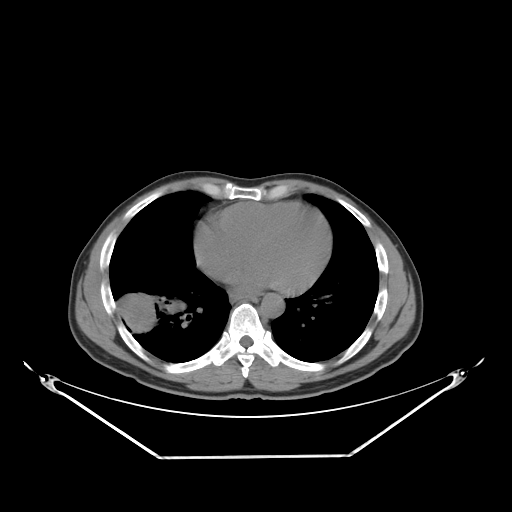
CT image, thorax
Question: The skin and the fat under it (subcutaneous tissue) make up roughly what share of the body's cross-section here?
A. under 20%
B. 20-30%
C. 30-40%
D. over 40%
Answer: A. under 20%
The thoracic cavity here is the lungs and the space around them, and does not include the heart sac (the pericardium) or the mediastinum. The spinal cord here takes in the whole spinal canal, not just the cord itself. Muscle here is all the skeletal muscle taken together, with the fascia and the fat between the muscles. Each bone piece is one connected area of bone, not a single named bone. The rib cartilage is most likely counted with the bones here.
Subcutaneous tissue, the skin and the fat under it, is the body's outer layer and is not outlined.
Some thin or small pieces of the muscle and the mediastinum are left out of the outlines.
The muscle is outlined by [[198,176],[228,181],[221,185],[202,181],[200,190],[166,194],[165,186],[158,188],[124,213],[122,218],[126,224],[119,234],[112,230],[100,249],[99,269],[101,272],[108,269],[108,281],[103,279],[99,286],[102,305],[109,316],[117,311],[121,319],[116,324],[117,332],[139,358],[150,364],[147,351],[166,362],[161,366],[165,372],[180,374],[210,364],[218,367],[236,356],[241,364],[241,375],[247,378],[255,355],[271,367],[281,363],[304,372],[319,372],[327,366],[323,361],[341,353],[334,363],[341,365],[364,347],[373,332],[367,325],[370,318],[373,316],[378,322],[388,302],[387,287],[379,287],[379,274],[389,272],[386,250],[379,240],[372,243],[365,228],[371,227],[369,219],[339,196],[334,200],[313,192],[290,194],[291,183],[255,186],[280,179],[302,179],[329,187],[351,199],[384,229],[402,253],[412,277],[416,310],[408,332],[363,366],[284,391],[256,389],[248,382],[240,389],[228,391],[194,390],[153,375],[100,347],[79,328],[74,310],[78,281],[100,233],[144,193],[171,181]]. The spinal cord is outlined by [[243,336],[248,336],[252,340],[252,343],[249,346],[248,346],[247,347],[245,347],[244,346],[243,346],[240,343],[240,339]]. The bones appear in 10 outlined pieces: piece 1: [[244,302],[257,310],[263,326],[281,349],[302,361],[322,362],[326,365],[323,370],[304,371],[281,362],[271,366],[257,354],[247,377],[242,375],[236,355],[221,365],[210,363],[188,372],[163,369],[164,363],[186,362],[208,351],[221,337],[232,309]], around a hole outlined by [[243,336],[248,336],[252,340],[252,343],[249,346],[248,346],[247,347],[245,347],[244,346],[243,346],[240,343],[240,339]]; piece 2: [[229,181],[234,185],[243,186],[244,187],[264,186],[266,188],[269,188],[281,184],[291,184],[292,186],[289,191],[289,194],[276,199],[253,200],[252,199],[244,199],[243,198],[235,198],[234,199],[215,198],[201,191],[200,183],[209,182],[221,186]]; piece 3: [[367,326],[369,326],[372,328],[372,332],[371,333],[371,335],[369,339],[366,342],[366,343],[363,346],[363,347],[357,353],[356,353],[349,359],[343,362],[341,364],[336,365],[335,363],[336,361],[341,356],[342,352],[343,352],[362,333],[362,332]]; piece 4: [[121,321],[124,324],[126,328],[131,333],[132,336],[145,350],[146,352],[146,354],[149,357],[151,361],[150,363],[145,361],[143,359],[139,357],[134,352],[133,352],[124,342],[121,336],[119,334],[118,332],[118,329],[117,328],[117,324]]; piece 5: [[114,230],[118,234],[118,235],[116,238],[116,240],[115,241],[115,243],[114,244],[114,246],[111,253],[111,256],[110,257],[110,260],[109,261],[109,265],[108,266],[108,268],[106,268],[101,271],[100,269],[100,266],[99,265],[101,249],[107,236]]; piece 6: [[163,187],[165,187],[166,188],[166,191],[163,195],[156,198],[147,205],[146,205],[143,208],[142,208],[137,213],[136,213],[127,223],[124,220],[123,217],[125,213],[132,206],[133,206],[143,198],[146,197],[148,195],[151,194],[158,189],[162,188]]; piece 7: [[103,280],[105,280],[109,282],[109,285],[110,286],[110,289],[111,290],[111,294],[115,302],[115,306],[116,308],[113,312],[112,315],[109,315],[107,313],[103,305],[103,302],[102,301],[102,298],[101,297],[101,291],[100,290],[101,282]]; piece 8: [[380,287],[386,287],[387,289],[387,302],[386,303],[386,306],[385,307],[384,312],[381,318],[378,321],[376,321],[376,317],[372,315],[372,314],[373,313],[373,310],[375,306],[375,303],[376,302],[377,295],[378,294],[378,292],[379,291],[379,288]]; piece 9: [[376,241],[379,241],[382,244],[385,250],[385,252],[387,256],[387,264],[388,265],[388,272],[387,274],[379,272],[379,270],[378,269],[378,264],[377,263],[377,258],[376,257],[376,254],[375,253],[375,249],[374,248],[374,245],[373,244]]; piece 10: [[335,197],[339,197],[341,198],[343,200],[349,203],[351,205],[355,207],[358,210],[359,210],[368,219],[368,220],[370,222],[370,227],[365,227],[345,207],[344,207],[340,203],[336,201],[335,200]]. The thoracic cavity appears in 2 outlined pieces: piece 1: [[186,190],[200,191],[210,197],[209,201],[199,204],[192,224],[192,249],[195,267],[225,291],[230,309],[227,323],[220,337],[208,350],[186,361],[167,362],[146,350],[122,321],[112,294],[109,281],[109,266],[118,236],[136,214],[164,195]]; piece 2: [[308,193],[337,202],[364,227],[373,245],[379,273],[378,291],[366,326],[343,351],[322,361],[306,361],[289,354],[274,340],[271,330],[272,322],[286,309],[286,299],[299,296],[309,289],[325,269],[332,254],[334,243],[332,228],[321,210],[305,198]]. The mediastinum appears in 2 outlined pieces: piece 1: [[219,286],[221,286],[225,289],[237,292],[281,294],[287,298],[285,299],[285,309],[280,316],[277,317],[271,322],[270,329],[267,328],[264,326],[258,310],[251,303],[247,301],[239,303],[234,306],[230,311],[231,305],[229,302],[228,295],[226,291]]; piece 2: [[211,198],[215,200],[235,200],[233,200],[232,201],[228,201],[223,203],[220,203],[217,205],[214,205],[210,207],[195,222],[195,224],[193,226],[193,231],[193,224],[197,216],[198,211],[200,208],[200,204],[205,204],[209,202],[211,200]]. The pericardium is outlined by [[286,198],[300,198],[313,204],[320,210],[331,228],[333,243],[330,257],[320,275],[309,288],[301,294],[292,297],[286,297],[281,293],[275,292],[246,292],[231,290],[219,285],[198,269],[193,249],[194,226],[210,208],[236,200],[262,201],[281,200]]. The torso is outlined by [[183,170],[209,170],[248,178],[305,172],[330,179],[357,196],[393,229],[418,272],[424,313],[417,339],[398,359],[372,376],[334,392],[295,400],[184,397],[144,386],[95,362],[77,344],[67,321],[68,293],[75,261],[96,228],[119,203],[152,181]].